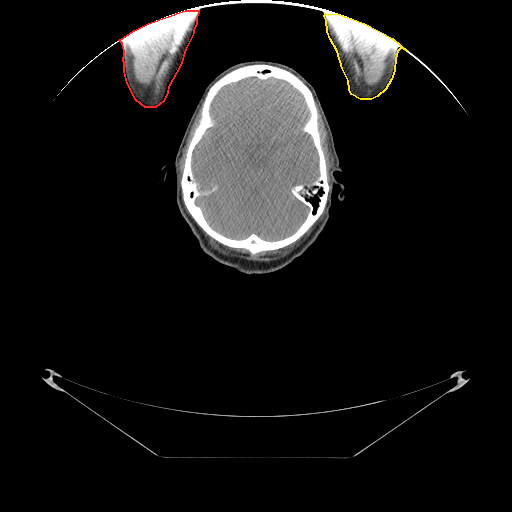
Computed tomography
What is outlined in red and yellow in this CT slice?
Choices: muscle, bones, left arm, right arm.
red: right arm; yellow: left arm.
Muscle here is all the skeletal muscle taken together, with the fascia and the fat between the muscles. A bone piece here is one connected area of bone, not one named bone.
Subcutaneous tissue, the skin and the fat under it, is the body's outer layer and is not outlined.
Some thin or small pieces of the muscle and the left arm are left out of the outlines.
Outlined structures:
right arm: (185, 10) (198, 10) (198, 13) (196, 17) (196, 23) (193, 30) (193, 33) (185, 49) (180, 65) (168, 86) (167, 92) (163, 101) (155, 107) (145, 107) (136, 100) (127, 83) (124, 71) (124, 62) (123, 61) (124, 51) (122, 43) (119, 40) (134, 30) (148, 23)
left arm: (325, 13) (328, 14) (336, 13) (364, 23) (392, 38) (406, 50) (400, 48) (397, 51) (395, 58) (394, 70) (391, 79) (385, 89) (377, 96) (371, 99) (360, 99) (351, 94) (349, 89) (348, 80) (342, 68) (337, 51) (330, 39) (327, 31) (326, 20) (324, 16)
brain: (251, 77) (286, 82) (301, 95) (307, 111) (301, 130) (310, 136) (317, 154) (315, 179) (290, 188) (307, 207) (305, 218) (277, 239) (253, 232) (242, 238) (228, 236) (210, 224) (196, 203) (218, 188) (202, 184) (193, 170) (194, 151) (215, 125) (212, 103) (222, 88)
head: (250, 60) (285, 64) (313, 86) (343, 170) (342, 173) (335, 171) (333, 176) (344, 186) (341, 201) (338, 199) (340, 188) (334, 186) (329, 218) (315, 241) (287, 265) (260, 274) (240, 272) (218, 262) (201, 249) (179, 211) (173, 166) (188, 122) (206, 86) (226, 68)
muscle 1: (185, 10) (192, 10) (188, 31) (183, 39) (183, 42) (175, 57) (173, 65) (167, 78) (165, 80) (164, 89) (158, 97) (155, 99) (149, 93) (147, 89) (142, 88) (141, 85) (136, 82) (135, 80) (135, 77) (131, 67) (129, 49) (126, 39) (126, 35) (148, 23)
muscle 2: (327, 13) (328, 14) (336, 13) (349, 17) (354, 20) (357, 20) (378, 30) (393, 39) (387, 66) (387, 72) (385, 74) (383, 80) (371, 93) (360, 91) (354, 83) (354, 81) (352, 79) (352, 75) (349, 71) (348, 65) (345, 60) (344, 55) (342, 53) (340, 44)
muscle 3: (325, 208) (326, 210) (321, 220) (313, 227) (311, 232) (297, 246) (289, 253) (280, 258) (264, 262) (248, 261) (222, 254) (208, 243) (208, 240) (202, 231) (224, 246) (233, 249) (245, 249) (251, 255) (255, 255) (261, 252) (281, 249) (297, 241) (316, 222) (323, 213)
muscle 4: (316, 101) (318, 104) (318, 107) (322, 119) (324, 122) (325, 129) (327, 131) (328, 145) (333, 157) (333, 165) (329, 170) (328, 174) (328, 170) (326, 164) (326, 158) (322, 147) (321, 134) (319, 131) (319, 121) (318, 120) (320, 117) (320, 115) (316, 104)
muscle 5: (200, 107) (199, 111) (200, 117) (198, 120) (198, 124) (195, 127) (192, 136) (187, 145) (183, 168) (181, 172) (181, 176) (179, 169) (179, 163) (180, 162) (180, 158) (182, 155) (182, 150) (186, 143) (186, 140) (189, 134) (190, 129) (195, 119) (195, 117) (199, 111)
bones: (253, 64) (267, 64) (283, 68) (297, 76) (310, 89) (319, 115) (318, 131) (330, 186) (322, 213) (297, 240) (284, 247) (255, 254) (251, 254) (245, 248) (224, 245) (207, 234) (188, 212) (182, 198) (181, 188) (188, 145) (199, 124) (202, 103) (209, 88) (232, 70); inner edge: (251, 77) (286, 82) (301, 95) (307, 111) (301, 130) (310, 136) (317, 154) (315, 179) (290, 188) (307, 207) (305, 218) (277, 239) (253, 232) (242, 238) (228, 236) (210, 224) (196, 203) (218, 188) (202, 184) (193, 170) (194, 151) (215, 125) (212, 103) (222, 88)